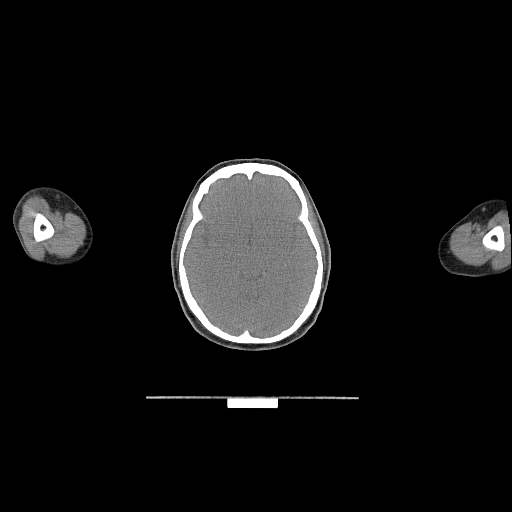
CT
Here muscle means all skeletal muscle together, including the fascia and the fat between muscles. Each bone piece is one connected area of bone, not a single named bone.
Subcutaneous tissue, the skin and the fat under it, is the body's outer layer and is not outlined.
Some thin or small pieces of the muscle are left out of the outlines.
{"left_arm":[[[492,198],[502,198],[505,201],[507,215],[508,216],[509,233],[511,234],[511,265],[510,268],[507,271],[497,275],[489,275],[482,277],[455,275],[447,272],[442,267],[438,259],[437,248],[440,238],[453,224],[463,217],[473,207],[483,201]]],"right_arm":[[[42,185],[53,186],[62,190],[69,195],[83,210],[90,222],[93,232],[93,239],[91,246],[87,253],[81,259],[72,264],[62,267],[52,267],[32,261],[24,252],[15,233],[12,223],[12,214],[18,200],[23,193],[28,189],[32,187],[41,186]]],"head":[[[234,158],[274,159],[295,171],[309,190],[325,227],[331,249],[329,279],[323,303],[316,320],[302,337],[291,343],[273,349],[240,350],[225,347],[208,340],[192,327],[182,310],[174,289],[170,252],[176,225],[186,199],[197,179],[206,170],[218,162]]],"bones":[{"outer":[[243,162],[273,164],[284,169],[297,179],[306,198],[308,219],[321,252],[323,277],[320,294],[314,309],[293,333],[283,339],[270,343],[238,343],[223,339],[210,332],[188,307],[178,276],[182,241],[192,219],[192,200],[200,183],[211,173],[223,166]],"hole":[[256,172],[279,177],[293,190],[300,206],[296,218],[305,229],[316,262],[311,289],[297,316],[288,326],[265,336],[253,335],[247,329],[232,333],[211,321],[192,293],[184,263],[194,228],[204,218],[200,203],[210,187],[218,180],[236,174],[251,180]]},[[36,212],[41,213],[43,215],[44,215],[44,216],[51,223],[53,227],[53,229],[54,230],[54,233],[51,237],[47,239],[42,240],[41,241],[36,241],[33,235],[33,223],[34,222],[34,219],[35,218],[34,216],[34,213]],[[496,225],[500,225],[502,227],[502,228],[504,231],[504,244],[505,245],[504,246],[504,248],[501,251],[498,251],[497,250],[492,250],[491,249],[488,249],[487,248],[486,248],[482,244],[482,238],[484,236],[484,235],[488,231],[489,231]]],"muscle":[{"outer":[[33,194],[39,194],[48,201],[53,202],[60,207],[75,213],[84,222],[86,228],[86,237],[84,240],[84,244],[70,257],[58,258],[54,256],[48,256],[41,260],[32,256],[25,246],[19,230],[18,221],[21,214],[23,203],[29,196]],"hole":[[36,212],[41,213],[43,215],[44,215],[44,216],[51,223],[53,227],[53,229],[54,230],[54,233],[51,237],[47,239],[42,240],[41,241],[36,241],[33,235],[33,223],[34,222],[34,219],[35,218],[34,216],[34,213]]},{"outer":[[501,209],[505,212],[507,212],[508,216],[509,233],[511,234],[511,263],[509,263],[501,269],[493,270],[487,265],[482,266],[467,265],[458,260],[449,252],[448,241],[450,235],[458,226],[468,221],[473,221],[476,219],[481,219],[482,218],[487,219]],"hole":[[496,225],[500,225],[502,227],[502,228],[504,231],[504,244],[505,245],[504,246],[504,248],[501,251],[498,251],[497,250],[492,250],[491,249],[488,249],[487,248],[486,248],[482,244],[482,238],[484,236],[484,235],[488,231],[489,231]]},[[304,191],[311,204],[312,209],[314,212],[323,239],[324,247],[325,248],[325,267],[324,268],[324,271],[324,266],[323,265],[323,260],[322,259],[322,252],[314,228],[309,219],[308,202]],[[192,197],[191,200],[191,211],[192,212],[192,215],[191,216],[191,219],[184,231],[183,237],[181,241],[181,245],[178,256],[178,266],[177,268],[176,266],[176,261],[175,260],[177,242],[179,237],[180,229],[184,220],[187,211],[187,208]]],"brain":[[[256,172],[279,177],[293,190],[300,206],[296,218],[305,229],[316,262],[311,289],[297,316],[288,326],[265,336],[253,335],[247,329],[232,333],[211,321],[192,293],[184,263],[194,228],[204,218],[200,203],[210,187],[218,180],[236,174],[251,180]]]}